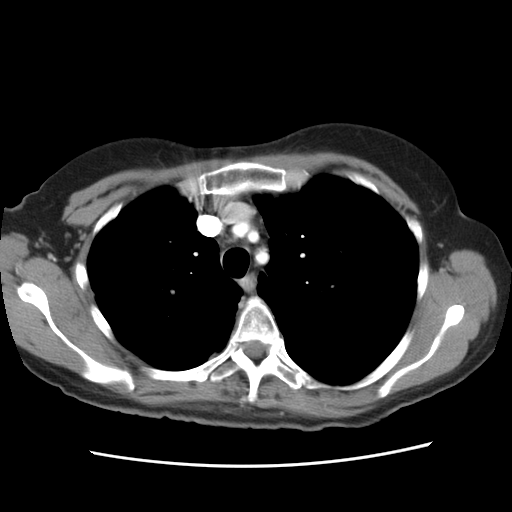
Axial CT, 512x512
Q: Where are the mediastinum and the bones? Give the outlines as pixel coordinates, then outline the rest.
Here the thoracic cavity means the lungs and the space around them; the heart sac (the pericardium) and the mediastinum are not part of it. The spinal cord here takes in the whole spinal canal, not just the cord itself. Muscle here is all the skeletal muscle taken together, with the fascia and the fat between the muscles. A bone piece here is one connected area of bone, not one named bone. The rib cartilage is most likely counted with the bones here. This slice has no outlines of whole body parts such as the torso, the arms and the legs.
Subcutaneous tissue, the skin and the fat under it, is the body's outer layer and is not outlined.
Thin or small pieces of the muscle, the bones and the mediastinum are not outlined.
A: mediastinum: 262 191; 293 192; 276 197; 269 194; 257 194; 253 197; 269 236; 270 257; 264 271; 260 272; 257 277; 257 294; 247 298; 237 315; 242 289; 222 270; 217 242; 197 230; 198 215; 189 199; 207 195; 234 196; 244 192
bones 1: 256 295; 268 306; 290 358; 312 377; 330 385; 356 382; 383 361; 407 329; 413 330; 413 336; 383 376; 357 389; 293 389; 267 374; 251 403; 247 399; 249 381; 242 369; 219 381; 153 379; 141 366; 186 370; 221 352; 246 301, around a hole outlined by 250 341; 259 341; 263 345; 264 345; 265 346; 265 351; 266 352; 266 354; 261 359; 260 359; 259 360; 254 360; 250 357; 249 357; 245 353; 245 352; 244 351; 244 345; 243 344; 243 343; 245 343; 246 342; 249 342
bones 2: 239 161; 257 162; 286 170; 303 169; 308 172; 311 177; 296 191; 287 190; 276 192; 262 190; 244 191; 234 195; 207 194; 199 195; 194 198; 190 197; 188 201; 185 197; 179 194; 175 187; 177 183; 191 177; 195 178; 204 172
bones 3: 25 281; 32 282; 43 290; 47 297; 50 315; 59 330; 73 344; 98 362; 127 370; 133 379; 133 390; 129 391; 122 382; 98 383; 82 377; 81 372; 85 368; 85 363; 81 356; 52 330; 39 309; 23 301; 17 294; 17 286
bones 4: 453 304; 460 304; 463 306; 463 316; 457 324; 447 328; 444 332; 440 344; 433 354; 419 366; 408 371; 398 378; 387 395; 381 398; 376 398; 377 390; 388 378; 399 369; 421 359; 429 351; 435 336; 443 324; 446 310; 449 306
bones 5: 93 303; 97 306; 97 307; 101 312; 102 315; 104 317; 106 321; 109 324; 114 334; 114 336; 115 337; 115 341; 112 341; 110 340; 102 332; 102 331; 96 325; 96 324; 94 322; 92 318; 92 316; 90 313; 90 305
bones 6: 119 202; 122 202; 123 203; 123 206; 118 213; 118 214; 116 216; 116 217; 115 217; 109 222; 108 222; 94 236; 93 236; 93 234; 92 233; 93 232; 93 229; 94 228; 94 226; 96 222; 110 207; 111 207; 114 204; 118 203
bones 7: 420 262; 426 262; 427 263; 427 264; 428 265; 428 278; 427 279; 427 285; 426 286; 426 288; 423 293; 423 295; 422 296; 422 297; 419 301; 416 301; 416 294; 417 293; 417 278; 418 277; 418 272; 419 271; 419 264; 420 263
bones 8: 345 171; 354 171; 355 172; 357 172; 363 175; 366 178; 370 180; 376 186; 376 187; 379 190; 380 192; 380 194; 377 194; 373 191; 372 191; 370 189; 364 186; 359 185; 353 182; 351 180; 347 178; 346 176; 346 174; 345 173
bones 9: 407 214; 410 215; 412 217; 414 217; 415 218; 416 218; 419 221; 419 222; 421 225; 421 229; 422 230; 422 240; 419 244; 418 244; 418 243; 417 242; 414 235; 408 227; 408 226; 407 225; 407 223; 404 218; 405 215; 406 215
spinal cord: 250 341; 259 341; 263 345; 264 345; 265 346; 265 351; 266 352; 266 354; 261 359; 260 359; 259 360; 254 360; 250 357; 249 357; 245 353; 245 352; 244 351; 244 345; 243 344; 243 343; 245 343; 246 342; 249 342
muscle: 315 151; 338 152; 366 160; 400 186; 420 210; 427 254; 434 269; 453 250; 471 249; 484 256; 496 285; 495 316; 488 337; 479 350; 448 374; 356 415; 310 418; 243 403; 192 401; 145 405; 86 382; 70 371; 49 365; 16 344; 4 301; 0 236; 12 231; 24 234; 31 242; 60 259; 70 254; 78 241; 76 230; 61 220; 69 196; 107 175; 131 168; 169 167; 212 158 with holes at 239 161; 303 169; 312 176; 346 178; 345 171; 354 171; 403 218; 408 214; 419 221; 418 262; 427 263; 428 278; 406 327; 413 336; 399 360; 374 382; 350 390; 293 389; 267 374; 251 403; 242 369; 219 381; 153 379; 140 369; 147 362; 116 338; 110 340; 94 322; 90 305; 96 303; 95 294; 89 285; 80 287; 75 264; 87 264; 100 217; 116 203; 124 207; 151 189; 174 187 and at 25 281; 32 282; 43 290; 47 297; 50 315; 59 330; 73 344; 98 362; 127 370; 133 379; 133 390; 129 391; 122 382; 98 383; 82 377; 81 372; 85 368; 85 363; 81 356; 52 330; 39 309; 23 301; 17 294; 17 286 and at 453 304; 460 304; 463 306; 463 316; 457 324; 447 328; 444 332; 440 344; 433 354; 419 366; 408 371; 398 378; 387 395; 381 398; 376 398; 377 390; 388 378; 399 369; 421 359; 429 351; 435 336; 443 324; 446 310; 449 306
thoracic cavity 1: 322 173; 346 178; 380 195; 404 219; 418 248; 415 302; 405 331; 378 365; 361 378; 347 384; 330 384; 321 381; 291 358; 275 318; 257 290; 258 277; 265 271; 271 256; 270 236; 254 197; 269 195; 276 198; 296 192; 312 176
thoracic cavity 2: 160 186; 174 187; 178 194; 192 205; 197 215; 196 230; 216 242; 221 270; 237 284; 242 292; 237 304; 237 317; 223 349; 205 362; 178 370; 162 369; 150 365; 116 338; 96 303; 86 266; 95 236; 117 217; 123 207; 144 192